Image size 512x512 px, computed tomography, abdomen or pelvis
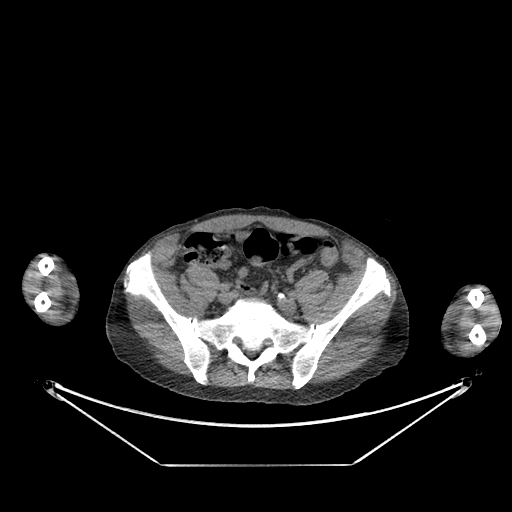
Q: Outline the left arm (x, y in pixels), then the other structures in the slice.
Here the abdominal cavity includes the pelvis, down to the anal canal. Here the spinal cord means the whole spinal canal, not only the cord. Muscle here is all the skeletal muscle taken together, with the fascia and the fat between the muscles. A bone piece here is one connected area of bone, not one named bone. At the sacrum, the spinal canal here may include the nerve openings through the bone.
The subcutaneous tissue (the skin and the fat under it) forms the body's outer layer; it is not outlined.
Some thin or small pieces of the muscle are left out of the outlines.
A: Outlines:
left arm: 470,282 479,282 482,284 484,284 492,291 501,312 501,315 502,316 501,327 497,337 494,341 483,351 476,356 471,358 460,358 451,355 442,347 440,342 440,324 441,323 442,316 455,292 461,286
right arm: 43,251 51,251 61,256 71,268 77,280 80,292 80,300 78,311 75,317 69,323 63,326 58,327 51,326 40,320 36,314 28,307 24,301 21,292 21,286 20,285 21,284 21,278 28,262 33,256
muscle 1: 231,214 278,216 315,224 340,238 353,241 373,256 366,257 362,276 342,307 331,318 307,326 294,285 315,269 324,271 333,283 340,273 350,270 342,251 330,237 289,233 260,221 231,231 194,232 183,239 174,266 181,272 193,265 207,268 217,276 219,290 205,308 203,318 184,315 163,293 153,270 152,253 148,250 136,257 153,241 170,232
muscle 2: 386,268 395,280 397,292 391,314 382,329 385,335 384,341 381,348 375,354 376,356 363,366 351,371 348,375 341,378 303,387 313,377 325,348 352,314 379,293 383,293 387,297 391,296 391,284 387,276
muscle 3: 123,287 126,293 133,296 142,296 147,299 162,315 180,343 183,353 183,362 191,373 193,379 198,383 195,383 191,378 183,374 179,374 165,368 154,358 150,357 151,353 143,344 142,340 137,335 130,323
muscle 4: 209,345 218,351 226,350 229,359 246,367 246,382 248,384 254,382 255,372 262,365 273,361 279,354 287,355 295,350 290,364 291,385 294,389 256,387 249,384 233,387 207,385 209,382 207,373 212,361
muscle 5: 474,286 483,287 490,295 497,309 499,323 491,339 485,343 487,340 486,331 481,323 474,322 467,336 474,345 480,347 470,353 462,354 447,344 445,340 445,323 451,306 457,298 465,291 464,290 466,288 with a hole at 476,287 479,287 481,289 481,290 484,295 484,299 483,300 482,303 480,305 479,308 478,308 477,309 476,308 473,308 472,307 471,304 468,301 468,300 467,299 467,294 468,293 468,292 472,288 475,288
muscle 6: 52,257 55,257 69,274 74,286 74,302 71,312 67,318 59,321 50,321 41,313 46,312 53,302 47,291 38,292 34,296 32,304 24,289 25,276 32,263 39,259 37,268 40,274 46,277 55,267
bones 1: 148,251 169,304 199,320 253,297 288,321 322,323 354,292 367,257 385,268 390,296 379,292 351,314 298,389 292,385 295,349 262,364 248,383 248,368 210,344 203,385 163,315 147,298 124,289 128,264, around holes outlined by 244,350 252,350 253,351 258,351 259,352 258,353 258,354 257,355 257,356 256,356 253,359 251,359 250,358 249,358 245,354 245,353 244,352 and by 236,337 237,337 238,337 239,338 240,339 241,340 241,341 242,342 242,343 241,344 240,345 239,345 238,345 237,344 236,343 235,342 234,341 234,340 234,339 235,338
bones 2: 474,323 479,323 480,324 481,324 481,325 482,326 483,329 485,331 485,333 486,334 486,340 484,342 484,343 480,346 478,346 477,345 474,344 469,339 469,337 468,336 468,334 469,333 471,328 473,326
bones 3: 41,291 45,291 46,292 47,292 47,295 52,302 51,303 50,306 47,309 47,310 46,311 45,311 44,312 37,312 36,311 36,310 35,309 35,307 33,304 33,300 34,299 35,296 38,293 39,293
bones 4: 476,287 479,287 481,289 481,290 484,295 484,299 483,300 482,303 480,305 479,308 478,308 477,309 476,308 473,308 472,307 471,304 468,301 468,300 467,299 467,294 468,293 468,292 472,288 475,288
bones 5: 44,255 48,255 50,256 52,258 53,260 53,262 54,263 54,267 53,269 48,274 48,275 46,276 44,275 42,275 38,268 38,262 39,260 42,257 42,256
spinal cord 1: 244,350 252,350 253,351 258,351 259,352 258,353 258,354 257,355 257,356 256,356 253,359 251,359 250,358 249,358 245,354 245,353 244,352
spinal cord 2: 236,337 237,337 238,337 239,338 240,339 241,340 241,341 242,342 242,343 241,344 240,345 239,345 238,345 237,344 236,343 235,342 234,341 234,340 234,339 235,338
spinal cord 3: 267,339 268,339 269,339 270,340 271,341 271,342 270,343 269,344 268,345 267,346 266,346 265,346 264,345 263,344 263,343 264,342 265,341 266,340
abdominal cavity: 254,222 289,234 327,237 341,251 349,270 340,272 333,282 324,270 315,268 293,285 305,324 288,320 271,303 253,296 238,297 219,316 204,318 220,290 218,276 195,264 181,271 175,266 187,236 231,232
torso: 260,205 331,223 364,242 388,260 401,284 409,310 410,343 398,364 340,396 310,405 294,406 263,402 209,401 185,396 148,381 116,358 105,334 105,316 114,281 128,258 149,237 173,224 222,208 249,208